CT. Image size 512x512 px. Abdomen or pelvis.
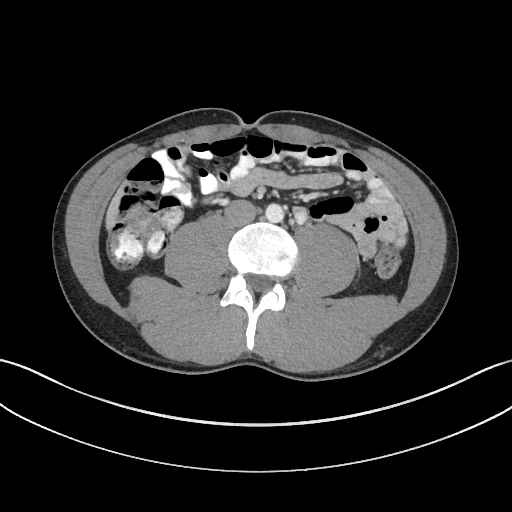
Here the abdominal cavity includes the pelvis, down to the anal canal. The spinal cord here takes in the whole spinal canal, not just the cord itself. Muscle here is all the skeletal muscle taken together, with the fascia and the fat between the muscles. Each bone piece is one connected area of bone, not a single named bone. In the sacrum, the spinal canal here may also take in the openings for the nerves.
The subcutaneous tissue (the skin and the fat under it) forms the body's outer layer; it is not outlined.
{"bones":[{"outer":[[249,350],[254,346],[259,315],[266,309],[278,311],[284,307],[285,291],[280,280],[298,261],[298,247],[293,237],[282,227],[263,221],[247,224],[232,235],[227,255],[236,273],[230,277],[219,301],[221,306],[236,304],[246,311],[248,322],[245,335]],"hole":[[257,294],[262,294],[263,293],[265,293],[267,291],[271,289],[273,285],[273,283],[275,281],[274,279],[275,277],[269,277],[265,275],[256,275],[255,274],[251,274],[250,273],[245,274],[244,276],[246,280],[246,285],[247,286],[247,289]]}],"muscle":[{"outer":[[299,373],[330,371],[355,361],[382,332],[421,305],[435,287],[445,261],[447,243],[445,224],[439,206],[431,192],[412,170],[379,148],[332,134],[322,133],[301,125],[264,123],[245,126],[216,123],[199,125],[151,137],[143,141],[124,144],[106,154],[84,173],[69,198],[65,213],[64,231],[71,267],[82,287],[95,302],[107,307],[129,323],[149,346],[172,361],[198,365],[216,365],[243,357],[253,357],[278,368]],"hole":[[249,350],[259,315],[284,307],[280,280],[298,261],[292,236],[302,226],[325,225],[350,241],[357,270],[337,296],[383,293],[399,300],[403,295],[414,251],[407,215],[367,162],[342,145],[281,141],[252,129],[160,146],[126,172],[106,205],[100,257],[105,279],[123,306],[135,277],[161,276],[175,282],[164,275],[163,262],[184,223],[207,215],[230,222],[234,233],[227,255],[236,273],[219,304],[236,304],[246,311]]}],"spinal_cord":[[[257,294],[262,294],[263,293],[265,293],[267,291],[271,289],[273,285],[273,283],[275,281],[274,279],[275,277],[269,277],[265,275],[256,275],[255,274],[251,274],[250,273],[245,274],[244,276],[246,280],[246,285],[247,286],[247,289]]],"abdominal_cavity":[[[123,306],[135,277],[175,282],[163,273],[167,247],[184,223],[207,215],[227,219],[234,232],[258,220],[292,235],[305,225],[336,229],[357,265],[336,295],[399,300],[411,226],[389,187],[339,144],[252,129],[160,146],[126,172],[101,220],[105,279]]],"torso":[[[300,381],[342,379],[377,368],[414,346],[443,312],[457,274],[458,236],[445,197],[421,168],[379,139],[317,113],[274,110],[246,122],[230,109],[200,107],[120,138],[76,170],[56,205],[51,250],[69,307],[96,339],[165,371],[203,374],[252,365]]]}